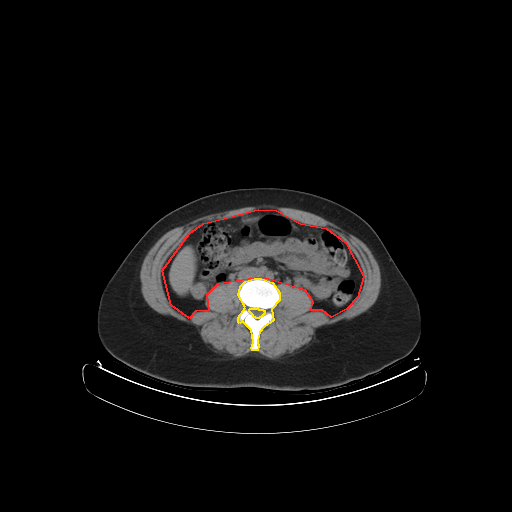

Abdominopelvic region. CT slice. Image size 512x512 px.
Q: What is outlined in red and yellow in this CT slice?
A: red: abdominal cavity; yellow: bones.
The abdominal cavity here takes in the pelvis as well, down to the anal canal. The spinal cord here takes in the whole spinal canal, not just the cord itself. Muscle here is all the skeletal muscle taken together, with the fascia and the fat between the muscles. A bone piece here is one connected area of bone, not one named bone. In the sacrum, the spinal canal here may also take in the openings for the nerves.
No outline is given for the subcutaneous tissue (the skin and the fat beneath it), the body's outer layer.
The abdominal cavity is outlined by 258,209 276,210 300,223 326,228 345,242 363,276 357,297 346,309 331,317 322,310 310,310 313,302 305,290 261,277 217,284 206,295 208,310 195,311 189,318 171,305 162,270 189,233 203,223. The bones are outlined by 254,278 261,278 272,282 279,292 279,300 271,309 273,320 263,327 259,332 257,340 258,346 257,350 252,350 251,348 253,342 251,330 242,321 239,323 238,322 238,317 245,307 238,295 240,286 245,281 with a hole at 250,308 257,308 258,309 262,309 263,310 264,310 264,313 260,317 259,317 258,318 256,318 255,317 254,317 253,316 253,315 249,311 249,309. The muscle is outlined by 251,204 303,209 354,234 369,248 379,266 381,285 375,302 347,321 322,328 313,337 313,342 297,353 276,359 262,356 257,351 258,340 261,330 274,320 272,309 280,300 277,285 286,283 305,291 312,302 309,310 322,311 331,318 346,310 358,297 364,276 357,257 346,242 326,227 300,222 276,209 258,208 198,224 173,250 161,270 161,283 167,300 188,319 195,312 209,310 206,298 212,288 221,283 238,282 237,295 244,307 237,322 242,322 250,330 252,351 240,358 211,351 193,326 164,317 151,308 142,295 139,274 146,254 160,234 180,221. The spinal cord is outlined by 250,308 257,308 258,309 262,309 263,310 264,310 264,313 260,317 259,317 258,318 256,318 255,317 254,317 253,316 253,315 249,311 249,309. The torso is outlined by 254,187 288,188 323,196 352,210 375,230 412,288 419,304 421,334 407,357 378,373 339,387 316,391 276,391 257,387 174,385 135,371 108,353 96,329 100,296 108,280 142,235 162,216 196,198 224,190.